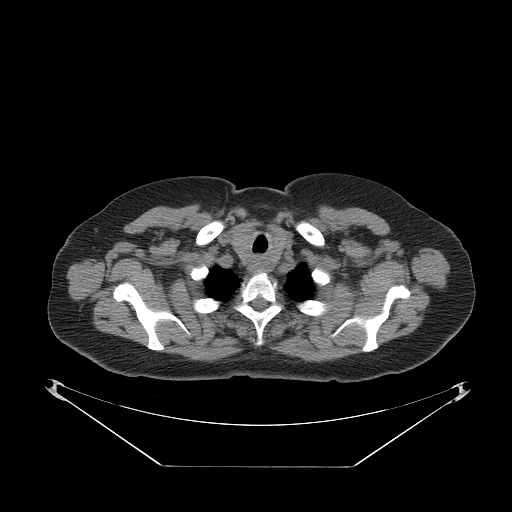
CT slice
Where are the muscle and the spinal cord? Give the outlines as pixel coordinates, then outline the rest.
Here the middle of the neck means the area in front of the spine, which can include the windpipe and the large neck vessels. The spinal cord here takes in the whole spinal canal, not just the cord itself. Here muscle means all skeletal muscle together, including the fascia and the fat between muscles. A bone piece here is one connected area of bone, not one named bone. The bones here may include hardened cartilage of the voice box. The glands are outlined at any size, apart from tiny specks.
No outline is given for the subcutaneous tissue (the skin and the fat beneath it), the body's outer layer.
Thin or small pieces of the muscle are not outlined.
{"muscle":[{"outer":[[195,203],[361,207],[385,219],[385,237],[401,248],[440,250],[450,265],[447,284],[420,326],[380,346],[377,333],[393,302],[411,294],[391,285],[379,312],[353,315],[329,335],[355,324],[365,333],[363,352],[332,361],[265,349],[215,362],[161,352],[159,322],[192,336],[175,314],[149,307],[124,280],[112,297],[132,306],[146,347],[100,332],[70,298],[66,272],[74,262],[104,258],[126,240],[123,226],[150,208]],"holes":[[[261,226],[280,230],[291,239],[310,271],[318,267],[329,273],[329,282],[316,285],[313,292],[314,299],[329,305],[325,313],[309,315],[301,312],[296,307],[296,302],[283,292],[285,307],[265,325],[263,344],[256,346],[257,334],[253,322],[232,308],[236,300],[235,293],[209,313],[198,313],[194,310],[192,300],[207,296],[204,281],[194,280],[190,271],[202,264],[210,269],[218,255],[222,239],[231,236],[234,231]],[[216,219],[219,219],[220,220],[222,220],[224,222],[225,224],[225,227],[223,229],[223,230],[220,233],[219,233],[210,242],[209,242],[207,244],[205,245],[197,245],[195,243],[195,239],[196,238],[196,236],[199,230],[206,224]],[[300,220],[304,220],[310,223],[316,228],[317,228],[321,232],[321,233],[323,235],[323,237],[324,238],[324,241],[325,242],[323,246],[316,246],[313,244],[311,244],[309,242],[308,242],[295,229],[295,224],[298,221]]]}],"spinal_cord":[[[258,297],[260,297],[261,298],[264,299],[266,301],[267,301],[267,302],[268,303],[268,305],[263,310],[262,310],[261,311],[258,311],[257,310],[254,309],[250,304],[250,303],[253,300],[254,300],[256,298],[257,298]]],"right_arm":[[[75,227],[79,232],[80,236],[81,237],[81,239],[82,240],[82,256],[81,257],[79,265],[78,267],[70,275],[66,277],[58,279],[57,280],[51,280],[51,271],[52,270],[52,264],[53,263],[54,258],[58,250],[64,243],[69,233]]],"middle_of_the_neck":[[[261,226],[270,230],[270,259],[274,263],[280,258],[288,237],[291,239],[310,271],[315,285],[313,298],[292,300],[282,291],[279,280],[264,271],[244,277],[235,293],[225,301],[206,295],[204,280],[222,239],[231,236],[235,253],[244,261],[253,229]]],"thyroid_glands":[[[246,227],[251,228],[252,229],[252,232],[251,233],[251,237],[247,243],[247,248],[246,249],[246,255],[245,258],[244,260],[242,260],[240,259],[239,256],[236,253],[236,251],[233,246],[232,243],[232,234],[234,231]],[[272,229],[277,229],[278,230],[280,230],[287,236],[287,240],[286,241],[286,243],[279,256],[279,258],[274,262],[272,261],[271,259],[271,257],[272,256],[271,252],[272,251],[272,245],[273,244],[273,242],[270,235],[271,234],[271,230]]],"torso":[[[318,172],[377,181],[443,223],[436,234],[439,259],[451,273],[474,280],[475,301],[463,327],[426,362],[348,383],[245,375],[160,380],[107,371],[52,332],[51,281],[70,276],[83,256],[76,226],[118,195],[186,175],[222,177],[240,189],[281,189]]],"left_arm":[[[443,224],[445,224],[448,226],[456,234],[461,241],[463,246],[467,251],[470,257],[471,265],[472,266],[472,272],[473,273],[473,277],[474,279],[469,279],[457,275],[448,270],[443,265],[440,259],[438,253],[438,249],[437,248],[437,234],[440,227]]],"bones":[{"outer":[[259,272],[264,272],[270,277],[278,280],[278,283],[281,286],[285,307],[265,325],[262,333],[263,344],[261,346],[256,346],[255,343],[257,340],[257,334],[253,322],[240,312],[234,310],[232,308],[232,304],[236,300],[236,292],[242,280]],"hole":[[258,297],[260,297],[261,298],[264,299],[266,301],[267,301],[267,302],[268,303],[268,305],[263,310],[262,310],[261,311],[258,311],[257,310],[254,309],[250,304],[250,303],[253,300],[254,300],[256,298],[257,298]]},[[124,281],[127,281],[134,286],[149,308],[155,311],[169,311],[175,315],[182,322],[191,336],[172,320],[159,321],[155,326],[155,330],[164,347],[160,351],[149,349],[147,347],[148,334],[137,318],[133,306],[125,300],[116,301],[113,297],[114,287]],[[398,284],[404,285],[410,294],[406,298],[396,298],[392,302],[388,317],[376,333],[378,345],[376,349],[368,352],[362,351],[366,340],[366,333],[355,323],[347,325],[333,337],[330,336],[345,320],[353,316],[366,318],[379,313],[387,291],[391,286]],[[216,219],[219,219],[220,220],[222,220],[224,222],[225,224],[225,227],[223,229],[223,230],[220,233],[219,233],[210,242],[209,242],[207,244],[205,245],[197,245],[195,243],[195,239],[196,238],[196,236],[199,230],[206,224]],[[300,220],[304,220],[310,223],[316,228],[317,228],[321,232],[321,233],[323,235],[323,237],[324,238],[324,241],[325,242],[323,246],[316,246],[313,244],[311,244],[309,242],[308,242],[295,229],[295,224],[298,221]],[[308,299],[316,299],[320,301],[324,301],[328,303],[329,305],[328,306],[328,309],[325,313],[321,315],[318,315],[317,316],[313,316],[312,315],[309,315],[308,314],[303,313],[296,307],[296,302],[299,302],[300,301],[303,301],[304,300],[307,300]],[[204,297],[211,297],[214,299],[216,299],[217,300],[220,300],[222,302],[221,303],[220,306],[216,310],[214,310],[213,311],[212,311],[209,313],[198,313],[197,312],[196,312],[194,310],[194,309],[192,306],[192,300],[194,298],[203,298]],[[316,267],[321,268],[322,269],[323,269],[325,271],[326,271],[329,273],[329,274],[330,275],[330,280],[328,283],[327,283],[324,285],[322,285],[321,286],[318,286],[317,285],[316,285],[314,283],[314,282],[311,277],[311,271],[312,270],[313,270]],[[202,264],[204,264],[209,269],[209,272],[208,273],[208,274],[207,275],[207,276],[202,281],[196,281],[195,280],[194,280],[191,277],[191,276],[190,275],[190,271],[191,270],[191,269],[193,267],[195,267],[196,266],[199,266],[200,265],[201,265]]]}